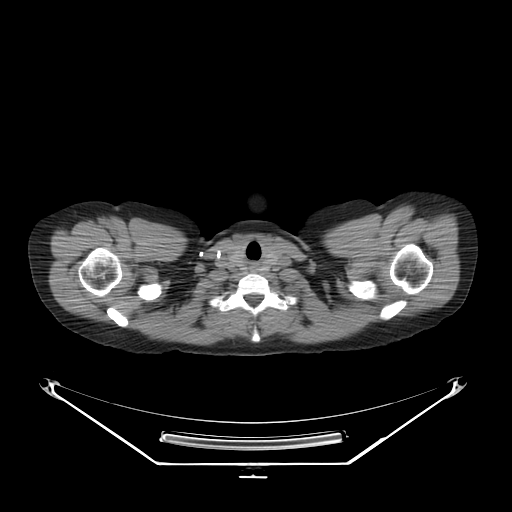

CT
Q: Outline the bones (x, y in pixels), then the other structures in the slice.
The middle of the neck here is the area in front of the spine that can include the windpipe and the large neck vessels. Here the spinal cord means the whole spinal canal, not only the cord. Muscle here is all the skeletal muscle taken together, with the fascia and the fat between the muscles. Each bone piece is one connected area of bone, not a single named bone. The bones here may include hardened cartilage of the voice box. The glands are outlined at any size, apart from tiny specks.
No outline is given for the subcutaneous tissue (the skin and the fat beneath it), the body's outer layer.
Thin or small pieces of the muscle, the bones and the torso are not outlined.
A: Outlines (x, y in pixels):
bones 1: 247,273 261,274 267,279 272,287 286,294 296,296 298,299 297,302 290,305 286,310 267,307 256,317 241,307 221,311 217,307 211,306 208,304 208,300 210,298 215,295 219,295 226,290 233,289 239,279 with a hole at 248,294 260,294 261,295 262,295 262,299 256,305 254,305 253,306 252,305 251,305 250,304 249,304 248,303 248,302 245,299 245,295 247,295
bones 2: 407,243 414,243 418,245 421,248 426,257 431,261 433,265 433,272 432,273 432,276 430,281 422,290 416,294 407,294 399,287 393,284 389,277 389,266 390,265 391,258 396,251 397,251 404,244 406,244
bones 3: 96,247 105,247 114,253 118,257 120,261 121,264 121,270 122,271 122,277 117,287 113,288 106,295 101,297 97,296 91,292 86,290 86,289 82,286 79,280 78,272 77,271 78,267 82,260 92,249
bones 4: 351,280 357,280 358,281 364,281 365,280 372,280 375,283 376,283 376,284 377,285 377,297 375,299 369,299 368,300 364,300 363,299 361,299 360,298 355,296 351,292 350,292 348,289 348,283
bones 5: 154,282 158,282 160,283 162,286 162,291 160,295 158,297 157,297 153,300 151,300 150,301 146,301 140,298 137,295 137,293 136,292 137,291 137,289 139,285 141,284 150,284
bones 6: 399,299 404,299 406,300 407,301 407,304 396,315 395,315 390,319 388,320 386,320 385,321 383,321 381,320 379,318 379,314 380,313 380,311 382,307 384,305 388,303 390,303 393,301 395,301
bones 7: 110,306 115,306 115,307 117,309 118,309 124,315 125,315 126,316 126,317 128,320 128,325 127,326 127,327 121,327 120,326 117,325 115,323 115,322 108,316 108,315 106,312 106,309 108,307 109,307
torso: 356,198 375,204 385,201 370,240 375,279 405,306 446,318 432,328 366,350 263,356 176,350 135,354 67,329 120,304 138,279 137,240 118,203 133,200 177,209 210,238 249,217 277,223 294,234 313,210
middle of the neck 1: 249,238 260,239 266,244 264,256 265,257 262,262 262,269 267,270 260,272 249,272 245,270 232,269 220,264 220,260 225,259 227,256 227,259 230,264 242,268 244,265 244,260 242,257 243,247 240,244
middle of the neck 2: 279,258 280,258 282,260 283,260 283,262 281,264 281,265 280,265 279,266 278,266 277,267 276,267 274,269 270,269 269,270 268,269 269,268 269,267 271,265 273,265 274,264 275,264
left arm: 406,189 429,189 442,191 454,195 463,200 468,205 473,212 477,223 478,256 473,281 464,303 455,313 448,317 434,317 426,315 405,305 385,289 379,283 373,273 371,264 371,240 374,225 386,201
thyroid glands 1: 235,245 241,245 242,247 242,249 241,250 241,252 242,253 242,256 241,257 243,260 243,265 242,267 239,267 238,266 233,265 231,263 230,263 228,259 228,254 229,253 229,251 230,249 233,246
thyroid glands 2: 267,245 270,245 272,246 278,252 279,254 279,257 277,259 275,263 273,264 271,264 268,267 267,269 263,269 263,266 264,265 264,263 263,262 266,257 265,256 266,255 266,246
spinal cord: 248,294 260,294 261,295 262,295 262,299 256,305 254,305 253,306 252,305 251,305 250,304 249,304 248,303 248,302 245,299 245,295 247,295
head and neck: 257,186 260,188 262,188 266,190 269,193 273,203 273,209 272,210 273,211 271,213 269,213 265,215 263,217 265,219 257,219 249,216 244,210 244,208 242,205 242,196 245,191 250,188 256,187
right arm: 85,200 104,200 116,204 122,210 126,220 132,229 136,240 139,260 139,271 137,279 132,289 120,303 90,320 83,321 78,324 65,328 55,319 44,306 34,288 28,263 27,241 29,233 38,219 69,204
muscle: 404,203 418,212 457,213 457,288 442,307 413,317 394,317 406,299 388,302 378,314 382,321 340,340 300,344 274,334 261,341 256,326 250,341 152,340 126,328 129,320 115,305 105,309 115,324 69,313 47,282 51,239 59,225 70,227 98,215 174,226 190,238 190,249 211,246 235,232 271,232 322,260 324,230 370,213 384,217, around holes outlined by 249,238 260,239 272,246 283,260 281,265 274,269 259,273 272,287 297,297 297,302 286,310 267,307 254,317 241,307 221,311 208,304 213,296 233,289 239,279 249,272 220,264 220,260 226,258 233,246 and by 407,243 414,243 418,245 421,248 426,257 431,261 433,265 433,272 432,273 432,276 430,281 422,290 416,294 407,294 399,287 393,284 389,277 389,266 390,265 391,258 396,251 397,251 404,244 406,244 and by 96,247 105,247 114,253 118,257 120,261 121,264 121,270 122,271 122,277 117,287 113,288 106,295 101,297 97,296 91,292 86,290 86,289 82,286 79,280 78,272 77,271 78,267 82,260 92,249 and by 351,280 357,280 358,281 364,281 365,280 372,280 375,283 376,283 376,284 377,285 377,297 375,299 369,299 368,300 364,300 363,299 361,299 360,298 355,296 351,292 350,292 348,289 348,283 and by 154,282 158,282 160,283 162,286 162,291 160,295 158,297 157,297 153,300 151,300 150,301 146,301 140,298 137,295 137,293 136,292 137,291 137,289 139,285 141,284 150,284